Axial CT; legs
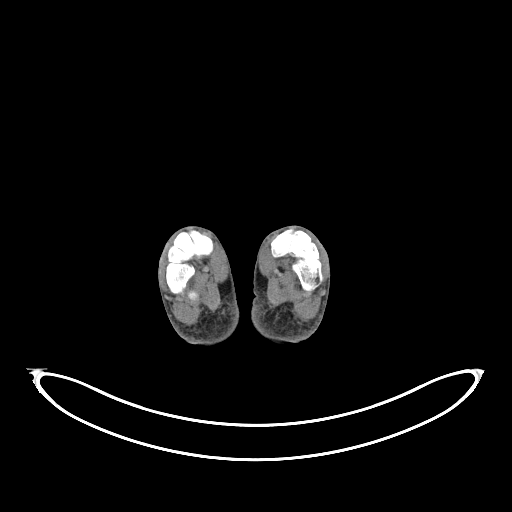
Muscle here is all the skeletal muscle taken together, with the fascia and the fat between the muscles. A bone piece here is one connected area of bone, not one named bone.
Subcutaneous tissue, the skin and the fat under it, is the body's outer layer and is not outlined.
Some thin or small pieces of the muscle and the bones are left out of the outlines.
Outlines (x, y in pixels):
bones 1: 291,227 294,229 305,231 311,237 312,241 316,244 318,249 323,280 311,291 305,290 301,287 300,281 296,273 292,269 292,265 296,260 291,255 286,254 283,256 274,257 271,252 270,244 272,239 280,232
bones 2: 191,229 195,229 210,237 213,242 213,250 208,255 200,257 194,256 192,258 189,262 194,267 194,273 187,281 184,292 174,294 170,291 165,279 165,272 168,264 167,250 172,244 174,237 179,232
right leg: 191,224 203,226 212,230 218,236 225,248 231,266 236,290 237,302 240,311 239,324 233,335 223,343 211,347 202,347 197,345 192,345 184,341 176,333 166,315 158,288 157,281 158,260 166,240 178,228
left leg: 289,224 299,224 310,229 319,238 325,247 329,256 331,270 330,291 321,323 316,331 309,338 299,343 276,344 260,336 254,330 250,322 250,307 253,297 252,292 253,269 256,253 260,242 264,236 274,229
muscle 1: 276,233 269,244 271,255 289,255 295,260 291,269 303,290 311,292 324,280 322,263 318,246 308,233 316,240 326,258 325,293 316,315 302,324 291,321 284,313 277,318 276,310 266,302 266,279 260,272 259,257 266,241
muscle 2: 198,230 208,232 218,243 227,276 219,286 220,307 196,325 188,326 172,312 162,287 160,271 163,256 169,243 172,239 166,250 166,259 167,264 164,279 172,294 185,292 188,281 195,273 195,267 190,262 194,257 208,256 214,250 213,239 with a hole at 189,291 194,291 197,294 197,296 196,297 196,298 195,298 194,299 191,299 188,296 188,295 187,294 187,293